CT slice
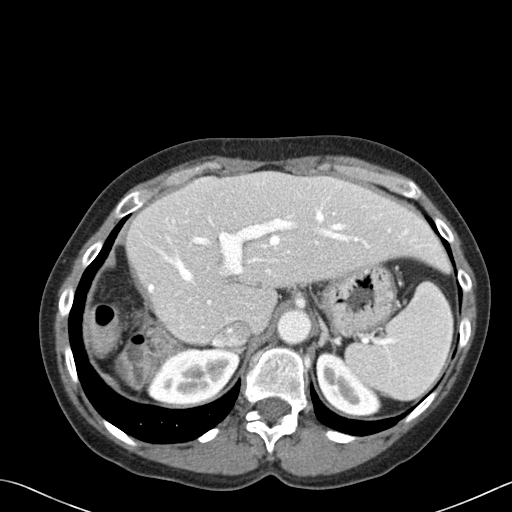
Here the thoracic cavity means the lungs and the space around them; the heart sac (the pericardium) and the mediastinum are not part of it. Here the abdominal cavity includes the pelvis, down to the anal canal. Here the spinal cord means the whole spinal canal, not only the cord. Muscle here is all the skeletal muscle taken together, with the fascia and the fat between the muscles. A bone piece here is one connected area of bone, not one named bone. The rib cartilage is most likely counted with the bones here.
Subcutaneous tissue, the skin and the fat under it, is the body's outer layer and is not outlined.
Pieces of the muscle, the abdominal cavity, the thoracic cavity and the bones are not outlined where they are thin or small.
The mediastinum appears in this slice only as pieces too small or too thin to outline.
The thoracic cavity appears in 3 outlined pieces: piece 1: [[127,215],[85,296],[81,316],[83,348],[91,367],[116,394],[134,403],[167,410],[186,410],[214,402],[240,380],[239,393],[229,412],[195,439],[153,443],[131,436],[97,411],[78,376],[68,331],[68,317],[75,292],[85,269],[98,255],[112,229]]; piece 2: [[311,386],[312,386],[319,401],[328,410],[340,417],[349,420],[377,421],[386,418],[395,417],[413,408],[403,418],[397,421],[393,425],[385,429],[365,435],[350,434],[330,428],[320,422],[317,419],[314,413],[311,401],[311,396],[310,395],[310,387]]; piece 3: [[440,237],[442,237],[449,244],[450,246],[451,252],[452,253],[453,259],[454,260],[454,263],[456,267],[456,275],[454,271],[455,270],[454,269],[455,268],[452,262],[450,260],[450,258],[448,255],[446,248],[444,246],[442,242],[442,240]]. The spinal cord is outlined by [[270,397],[278,397],[282,400],[287,402],[290,406],[290,408],[288,412],[287,412],[280,418],[279,418],[277,422],[275,422],[271,424],[260,419],[261,418],[261,415],[259,413],[259,411],[256,408],[257,407],[257,405],[259,401],[265,398],[269,398]]. The torso is outlined by [[319,134],[362,137],[412,157],[437,180],[474,236],[490,280],[490,317],[475,371],[452,414],[419,452],[385,474],[322,490],[291,487],[272,475],[237,490],[200,489],[132,473],[92,451],[56,400],[38,336],[46,280],[89,206],[124,170],[184,141]]. The muscle appears in 3 outlined pieces: piece 1: [[422,190],[453,226],[474,273],[476,327],[449,392],[427,416],[376,456],[329,475],[297,476],[277,460],[239,475],[195,472],[129,452],[91,425],[70,400],[56,358],[57,301],[58,314],[67,318],[69,342],[63,356],[72,382],[80,383],[103,426],[130,446],[137,445],[132,437],[153,444],[211,441],[240,393],[250,405],[244,416],[245,429],[259,435],[271,454],[279,438],[296,431],[299,413],[309,402],[307,387],[313,413],[329,428],[323,434],[332,442],[346,444],[402,419],[410,422],[435,399],[435,388],[472,330],[470,319],[460,317],[463,294],[471,291],[472,280],[456,266],[450,245],[455,238],[448,225],[438,216],[431,217],[416,200]]; piece 2: [[327,154],[345,155],[363,159],[368,162],[393,170],[409,178],[404,178],[368,169],[357,165],[344,164],[332,165],[326,162],[320,164],[318,166],[319,169],[329,169],[332,167],[334,170],[339,173],[344,174],[323,172],[322,173],[297,173],[285,169],[279,165],[266,164],[251,170],[237,173],[217,173],[213,171],[207,171],[198,173],[188,178],[185,181],[178,183],[182,180],[185,180],[193,174],[207,168],[210,169],[220,168],[221,165],[217,161],[207,160],[200,164],[172,172],[164,179],[163,183],[165,186],[159,189],[157,187],[144,187],[133,190],[124,195],[129,189],[135,185],[148,180],[169,168],[202,156],[218,155],[232,158],[238,157],[243,159],[264,161]]; piece 3: [[113,208],[112,214],[115,218],[118,219],[118,221],[105,238],[96,240],[85,250],[80,259],[81,267],[84,270],[76,288],[71,284],[68,285],[63,289],[58,300],[57,296],[58,290],[64,279],[70,272],[74,259],[78,252],[85,242],[102,224]]. The abdominal cavity is outlined by [[266,165],[373,182],[415,200],[430,216],[457,278],[460,319],[457,346],[441,379],[414,407],[377,420],[340,416],[312,385],[309,395],[310,360],[292,346],[258,352],[221,397],[186,409],[131,401],[90,364],[82,339],[86,296],[129,214],[166,185]]. The bones appear in 13 outlined pieces: piece 1: [[276,346],[289,347],[301,351],[302,355],[307,355],[309,360],[307,375],[310,382],[304,390],[308,402],[298,413],[295,431],[279,437],[274,443],[273,451],[269,453],[262,437],[245,427],[247,423],[245,416],[251,405],[240,392],[240,386],[252,358]]; inner edge: [[270,397],[278,397],[282,400],[287,402],[290,406],[290,408],[288,412],[287,412],[280,418],[279,418],[277,422],[275,422],[271,424],[260,419],[261,418],[261,415],[259,413],[259,411],[256,408],[257,407],[257,405],[259,401],[265,398],[269,398]]; piece 2: [[326,163],[330,164],[332,166],[333,165],[357,166],[368,170],[404,179],[410,179],[420,188],[422,194],[417,199],[406,197],[399,193],[392,191],[379,183],[365,179],[361,179],[342,172],[339,172],[334,169],[332,166],[329,168],[319,168],[320,165]]; piece 3: [[144,188],[157,188],[158,189],[157,191],[135,211],[133,211],[131,213],[129,213],[119,219],[115,217],[115,216],[113,214],[113,211],[114,210],[114,208],[116,206],[118,202],[127,194],[133,191],[135,191],[136,190],[140,190]]; piece 4: [[207,161],[215,161],[220,165],[220,167],[218,168],[215,168],[214,167],[213,168],[210,168],[207,167],[204,169],[202,169],[200,171],[193,173],[185,179],[182,179],[177,183],[174,183],[173,184],[165,184],[164,183],[165,179],[172,173],[200,165]]; piece 5: [[70,285],[73,286],[75,288],[75,291],[74,292],[74,295],[73,296],[73,300],[72,301],[72,304],[71,305],[71,307],[70,308],[70,310],[69,311],[68,316],[67,317],[62,317],[59,314],[59,311],[58,310],[58,301],[64,289]]; piece 6: [[434,389],[437,391],[437,394],[435,396],[435,397],[434,398],[434,399],[431,402],[431,403],[419,415],[418,415],[416,417],[415,417],[413,419],[412,419],[410,421],[409,421],[408,422],[405,422],[403,420],[403,419],[430,392],[431,392]]; piece 7: [[103,418],[104,418],[106,420],[107,420],[109,422],[110,422],[112,424],[113,424],[115,426],[119,428],[122,431],[123,431],[125,433],[129,435],[135,441],[136,445],[135,446],[130,445],[120,440],[118,438],[114,436],[104,426],[102,422],[102,419]]; piece 8: [[103,239],[105,239],[105,240],[103,243],[103,245],[101,249],[99,251],[97,255],[92,260],[92,261],[84,269],[82,267],[82,264],[81,263],[81,259],[82,258],[82,256],[84,254],[86,250],[93,243],[94,243],[98,240],[102,240]]; piece 9: [[464,316],[466,316],[469,319],[469,320],[470,321],[470,325],[471,326],[471,330],[470,331],[470,335],[468,338],[468,340],[467,341],[466,344],[462,348],[459,349],[458,348],[458,341],[459,340],[459,323],[460,322],[460,320],[461,319],[461,318]]; piece 10: [[68,343],[69,343],[71,348],[71,351],[72,352],[72,355],[73,356],[73,359],[75,364],[75,368],[76,369],[77,376],[79,380],[79,382],[78,383],[75,383],[73,382],[68,372],[68,370],[65,363],[64,350],[65,349],[65,346]]; piece 11: [[328,429],[332,429],[333,430],[335,430],[336,431],[338,431],[342,433],[345,433],[346,434],[349,434],[350,435],[358,436],[358,437],[356,439],[352,441],[347,442],[346,443],[340,443],[339,442],[335,442],[334,441],[330,440],[324,434],[324,432]]; piece 12: [[434,217],[438,217],[440,219],[441,219],[447,225],[447,226],[451,231],[451,232],[453,235],[453,237],[454,238],[454,240],[452,243],[451,243],[450,244],[439,233],[439,232],[437,229],[437,227],[436,226],[436,225],[432,218],[433,218]]; piece 13: [[214,427],[217,427],[219,429],[219,431],[218,432],[218,433],[215,436],[215,437],[213,439],[212,439],[211,440],[209,440],[208,441],[206,441],[205,442],[200,442],[199,441],[196,440],[196,438],[197,438],[200,435],[201,435],[206,431],[207,431]].